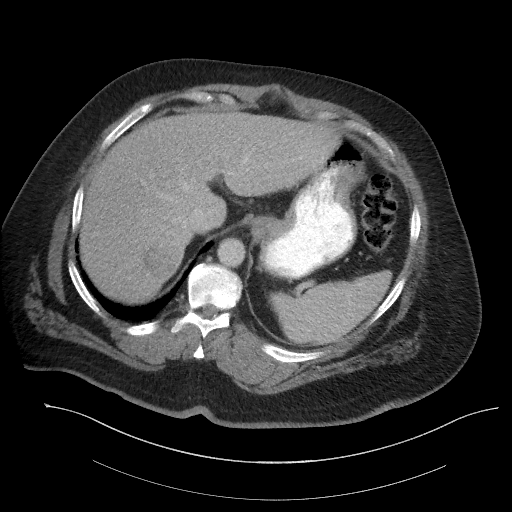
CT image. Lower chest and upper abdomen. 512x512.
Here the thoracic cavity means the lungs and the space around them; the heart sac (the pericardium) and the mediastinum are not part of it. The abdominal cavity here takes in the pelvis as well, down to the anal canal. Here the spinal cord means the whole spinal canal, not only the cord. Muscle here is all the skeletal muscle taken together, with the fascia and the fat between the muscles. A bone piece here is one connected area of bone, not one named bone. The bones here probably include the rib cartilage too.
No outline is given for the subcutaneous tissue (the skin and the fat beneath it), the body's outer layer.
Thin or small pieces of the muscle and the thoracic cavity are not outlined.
The mediastinum is outlined by 238 228; 249 228; 251 230; 251 240; 247 253; 247 263; 243 277; 241 278; 235 271; 221 265; 219 263; 201 261; 195 264; 199 255; 207 251; 213 244; 213 242; 216 238; 221 236; 222 234; 225 234; 232 230; 237 230. The abdominal cavity is outlined by 268 92; 294 114; 330 120; 367 137; 409 197; 407 253; 375 311; 333 345; 296 351; 270 341; 245 315; 241 299; 249 227; 208 241; 154 301; 127 306; 104 297; 80 268; 76 238; 84 192; 106 149; 147 114; 173 102; 256 108. The spinal cord is outlined by 207 304; 211 304; 212 305; 213 305; 214 306; 215 306; 219 310; 219 312; 217 314; 215 314; 211 318; 207 318; 206 317; 203 317; 203 316; 199 312; 199 309; 201 307; 202 307; 203 306; 204 306; 205 305; 206 305. The bones appear in 13 outlined pieces: piece 1: 201 262; 219 264; 235 272; 241 279; 241 296; 236 305; 229 310; 229 326; 215 328; 204 338; 202 337; 199 328; 193 323; 186 323; 179 331; 174 333; 171 332; 170 329; 176 319; 184 315; 189 309; 186 290; 187 276; 194 265, around a hole outlined by 207 304; 211 304; 212 305; 213 305; 214 306; 215 306; 219 310; 219 312; 217 314; 215 314; 211 318; 207 318; 206 317; 203 317; 203 316; 199 312; 199 309; 201 307; 202 307; 203 306; 204 306; 205 305; 206 305; piece 2: 263 343; 270 343; 273 345; 276 345; 282 348; 296 352; 305 352; 306 351; 313 351; 314 350; 327 351; 325 354; 314 359; 310 359; 309 360; 305 360; 299 362; 282 362; 275 359; 264 352; 261 349; 261 346; piece 3: 146 103; 151 103; 153 105; 151 111; 147 113; 143 117; 139 119; 135 123; 134 123; 130 127; 129 127; 106 148; 104 149; 102 149; 101 148; 101 144; 104 138; 131 111; 132 111; 135 108; 143 104; 145 104; piece 4: 68 260; 71 260; 74 262; 75 265; 79 271; 79 273; 82 279; 82 281; 84 283; 86 288; 90 294; 97 302; 97 304; 100 309; 100 311; 104 316; 100 316; 97 313; 92 310; 79 295; 69 275; 69 272; 68 271; piece 5: 345 119; 351 119; 354 121; 356 121; 370 128; 382 137; 388 143; 390 147; 393 150; 394 152; 394 160; 392 160; 387 153; 384 152; 382 149; 378 147; 376 144; 367 136; 358 131; 346 127; 344 125; 343 122; piece 6: 402 277; 406 277; 406 280; 405 281; 404 286; 399 296; 396 299; 396 300; 376 320; 375 320; 370 324; 367 324; 368 320; 372 316; 374 312; 376 311; 378 307; 388 295; 388 294; 392 289; 393 286; 396 283; 396 282; piece 7: 157 319; 159 320; 158 327; 156 329; 156 330; 152 333; 144 334; 143 335; 132 335; 131 334; 127 333; 124 330; 124 329; 126 327; 130 325; 132 325; 133 324; 139 324; 140 323; 143 323; 144 322; 149 322; 150 321; 156 320; piece 8: 79 186; 82 186; 83 187; 83 200; 82 201; 82 206; 81 207; 81 215; 80 216; 79 223; 77 225; 77 227; 76 228; 76 229; 74 231; 73 231; 72 230; 72 208; 73 207; 73 200; 74 199; 74 195; 75 194; 75 192; piece 9: 414 205; 416 205; 419 210; 419 214; 420 215; 420 230; 419 231; 418 237; 415 241; 415 242; 413 244; 410 244; 410 242; 409 241; 409 233; 410 232; 410 217; 411 216; 412 210; 413 209; 413 206; piece 10: 191 91; 203 91; 204 92; 208 92; 209 93; 210 93; 211 94; 212 94; 214 96; 214 99; 212 101; 211 101; 210 102; 197 102; 196 101; 193 101; 192 100; 190 100; 189 99; 186 99; 183 97; 183 94; 186 92; 190 92; piece 11: 319 111; 329 111; 330 112; 333 112; 334 113; 336 113; 338 115; 338 117; 337 118; 332 118; 331 119; 322 119; 321 118; 318 118; 317 117; 316 117; 316 116; 315 115; 315 114; 316 113; 316 112; 318 112; piece 12: 219 94; 228 94; 229 95; 230 95; 232 97; 233 97; 235 99; 235 104; 228 104; 227 103; 224 103; 223 102; 222 102; 221 101; 220 101; 219 100; 219 99; 218 98; 218 96; 219 95; piece 13: 200 342; 201 342; 201 343; 202 344; 202 348; 203 349; 203 354; 204 355; 203 356; 203 357; 202 358; 195 358; 193 356; 193 353; 194 352; 194 351; 196 349; 196 348; 198 346; 198 345; 199 344; 199 343. The muscle is outlined by 209 83; 230 83; 252 86; 258 86; 270 83; 279 83; 286 86; 298 94; 301 94; 307 97; 313 97; 330 101; 345 106; 360 114; 368 120; 375 127; 375 129; 377 131; 381 131; 389 136; 405 154; 415 176; 420 183; 423 191; 424 199; 426 202; 428 214; 428 243; 426 246; 426 252; 429 274; 426 291; 424 295; 425 329; 420 351; 414 357; 403 361; 401 363; 393 363; 392 364; 387 363; 376 366; 367 366; 352 372; 336 374; 325 378; 317 379; 278 393; 257 394; 251 393; 238 386; 232 380; 232 378; 221 371; 216 366; 215 362; 212 360; 209 361; 172 360; 169 361; 163 368; 155 371; 140 370; 114 359; 94 348; 69 340; 53 337; 46 334; 43 331; 37 331; 26 317; 24 307; 25 280; 30 261; 39 243; 47 231; 57 209; 62 202; 64 197; 64 192; 67 189; 68 183; 71 180; 73 174; 83 159; 91 150; 101 132; 109 124; 121 116; 134 103; 148 95; 170 90; 179 91; 195 85; 203 85 with holes at 191 91; 212 94; 213 104; 221 102; 219 94; 228 94; 235 99; 233 105; 241 108; 256 108; 265 93; 273 92; 299 116; 315 118; 316 112; 333 112; 338 117; 330 120; 344 128; 345 119; 356 121; 376 132; 394 152; 392 160; 382 149; 377 149; 401 181; 411 202; 411 209; 416 205; 420 215; 418 237; 408 246; 397 276; 398 280; 406 277; 404 286; 396 300; 376 320; 370 324; 366 321; 343 341; 320 348; 327 351; 317 358; 282 362; 264 352; 261 349; 263 343; 276 344; 258 332; 245 315; 241 299; 229 310; 229 326; 215 328; 204 338; 193 323; 186 323; 174 333; 170 330; 176 319; 189 309; 186 293; 182 293; 173 306; 159 314; 155 331; 132 335; 124 330; 131 323; 112 316; 99 304; 104 316; 100 316; 82 299; 71 280; 68 260; 78 266; 78 228; 72 230; 74 195; 79 186; 83 187; 84 192; 86 190; 94 169; 106 151; 101 148; 102 141; 135 108; 151 103; 153 112; 173 102; 185 100; 183 94 and at 200 342; 201 342; 201 343; 202 344; 202 348; 203 349; 203 354; 204 355; 203 356; 203 357; 202 358; 195 358; 193 356; 193 353; 194 352; 194 351; 196 349; 196 348; 198 346; 198 345; 199 344; 199 343. The torso is outlined by 181 57; 278 65; 334 76; 388 96; 421 122; 443 163; 471 247; 482 302; 475 346; 447 384; 355 423; 244 429; 214 424; 202 414; 170 417; 73 374; 24 367; 6 312; 0 268; 2 226; 10 206; 54 137; 102 87; 141 65. The thoracic cavity is outlined by 208 242; 212 242; 212 244; 198 255; 186 276; 186 293; 182 293; 175 300; 173 306; 164 310; 155 319; 139 323; 132 324; 118 319; 106 311; 87 288; 77 263; 77 258; 79 268; 104 298; 122 306; 137 307; 147 305; 165 296.